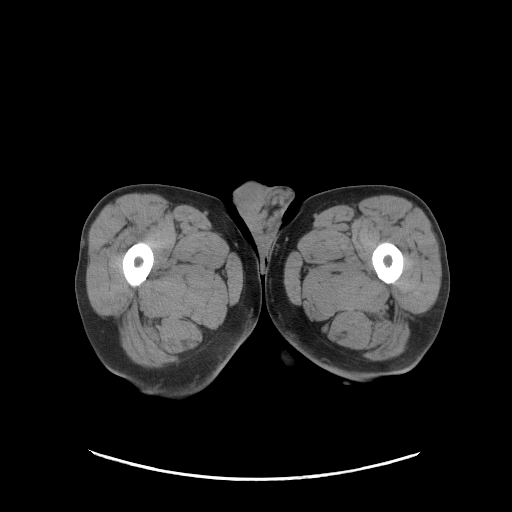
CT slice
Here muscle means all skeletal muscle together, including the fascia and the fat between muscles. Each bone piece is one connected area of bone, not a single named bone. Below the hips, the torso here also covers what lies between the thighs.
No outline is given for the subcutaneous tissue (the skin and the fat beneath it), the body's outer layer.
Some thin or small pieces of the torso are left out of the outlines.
The bones appear in 2 outlined pieces: piece 1: [[138,242],[144,242],[149,245],[149,246],[151,248],[153,252],[153,258],[154,259],[153,260],[153,265],[148,275],[146,277],[145,280],[137,286],[132,286],[128,283],[123,274],[123,272],[122,271],[122,257],[129,247],[130,247],[133,244],[137,243]]; piece 2: [[382,242],[390,242],[394,244],[401,251],[404,258],[404,264],[403,265],[403,269],[402,270],[402,272],[400,276],[394,283],[389,283],[388,284],[381,280],[377,276],[377,274],[372,264],[372,261],[371,260],[372,252],[376,247],[376,246],[378,244]]. The muscle appears in 2 outlined pieces: piece 1: [[133,192],[156,193],[174,204],[189,204],[202,211],[230,248],[239,256],[243,268],[244,281],[239,301],[219,332],[201,351],[178,365],[174,364],[167,368],[147,369],[132,362],[119,343],[116,327],[93,310],[86,291],[89,228],[107,201]] with a hole at [[138,242],[144,242],[149,245],[149,246],[151,248],[153,252],[153,258],[154,259],[153,260],[153,265],[148,275],[146,277],[145,280],[137,286],[132,286],[128,283],[123,274],[123,272],[122,271],[122,257],[129,247],[130,247],[133,244],[137,243]]; piece 2: [[381,194],[403,197],[422,209],[431,223],[439,244],[442,274],[435,303],[411,326],[407,349],[391,359],[366,362],[331,349],[298,318],[285,292],[283,268],[286,257],[296,248],[299,238],[311,229],[314,218],[320,211],[339,204],[357,203],[366,197]] with a hole at [[382,242],[390,242],[394,244],[401,251],[404,258],[404,264],[403,265],[403,269],[402,270],[402,272],[400,276],[394,283],[389,283],[388,284],[381,280],[377,276],[377,274],[372,264],[372,261],[371,260],[372,252],[376,247],[376,246],[378,244]]. The left leg is outlined by [[359,184],[393,185],[418,195],[428,205],[440,227],[450,273],[450,290],[444,317],[430,348],[419,363],[408,371],[376,380],[334,375],[296,351],[288,345],[273,324],[264,296],[265,271],[280,223],[282,221],[285,224],[297,212],[301,203],[313,194]]. The right leg is outlined by [[137,183],[174,185],[217,197],[225,204],[231,217],[257,252],[259,278],[263,294],[259,317],[252,333],[207,388],[182,400],[169,400],[144,395],[127,381],[104,367],[87,339],[76,303],[74,276],[78,261],[81,230],[88,214],[108,192],[121,186]]. The torso appears in 2 outlined pieces: piece 1: [[248,179],[255,179],[269,186],[286,185],[291,187],[295,191],[295,197],[285,211],[282,220],[279,223],[274,233],[264,271],[264,279],[262,275],[260,278],[260,265],[256,245],[248,228],[239,215],[231,199],[232,190],[239,184]]; piece 2: [[276,339],[278,339],[285,346],[286,346],[293,353],[293,354],[302,363],[302,367],[301,368],[298,368],[297,369],[294,369],[293,370],[291,370],[290,369],[288,369],[286,367],[285,367],[279,361],[279,360],[277,357],[277,355],[276,354]].